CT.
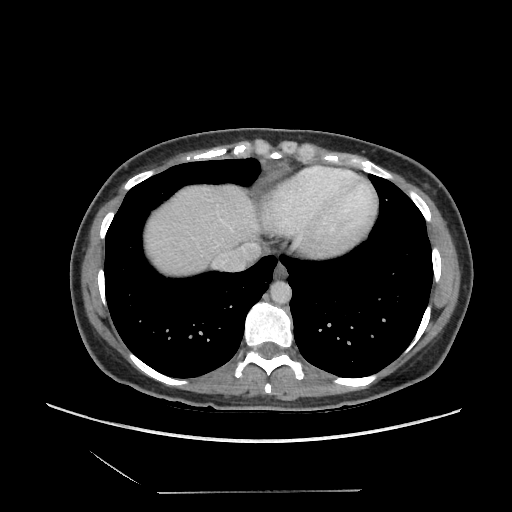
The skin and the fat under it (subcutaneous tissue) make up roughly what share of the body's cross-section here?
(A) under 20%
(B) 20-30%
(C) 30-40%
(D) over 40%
(A) under 20%
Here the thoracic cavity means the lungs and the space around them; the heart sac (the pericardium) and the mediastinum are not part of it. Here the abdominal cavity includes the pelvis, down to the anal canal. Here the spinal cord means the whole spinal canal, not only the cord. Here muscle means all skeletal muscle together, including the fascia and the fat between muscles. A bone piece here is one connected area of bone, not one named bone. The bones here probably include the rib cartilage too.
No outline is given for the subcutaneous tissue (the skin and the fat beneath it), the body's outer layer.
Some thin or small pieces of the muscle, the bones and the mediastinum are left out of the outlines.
Outlines (x, y in pixels):
mediastinum 1: 262,240 270,248 282,254 280,256 280,260 284,264 287,270 288,273 287,281 292,290 292,295 289,301 290,312 271,302 260,300 264,292 268,288 273,276 273,270 277,262 277,259 274,255 271,254 262,256
mediastinum 2: 258,159 271,159 272,160 287,159 288,160 299,161 303,163 303,164 291,168 280,176 276,177 268,182 257,192 256,195 254,197 254,202 253,203 251,193 250,192 251,189 250,186 257,179 261,173 261,164
abdominal cavity: 226,183 231,183 250,188 249,192 253,204 259,231 261,234 261,256 252,265 245,269 237,271 214,270 185,278 166,278 158,273 148,263 144,255 142,247 142,230 146,218 150,212 184,186 192,184 225,184
muscle 1: 387,170 419,188 435,204 448,228 460,267 455,308 444,327 421,350 367,388 320,397 294,400 260,395 242,397 198,393 165,385 185,385 188,383 186,379 222,366 237,353 243,339 246,349 243,358 235,364 233,375 236,378 240,378 244,368 252,363 263,369 267,376 280,366 288,366 294,377 302,380 305,376 303,363 288,351 294,344 308,363 337,376 332,379 335,384 348,387 369,385 382,369 401,354 409,352 429,323 432,313 429,297 432,283 440,280 442,258 438,247 431,246 428,236 426,222 432,220 429,206 413,189 407,194 391,181 395,178, around a hole outlined by 268,382 270,384 270,385 271,386 271,392 269,394 268,393 266,393 265,392 265,390 264,389 264,388 265,387 265,385 266,384 266,383 267,383
muscle 2: 125,181 122,187 126,193 119,207 116,211 107,211 100,222 104,261 103,267 97,270 96,282 100,300 108,308 113,325 128,348 128,358 146,375 134,368 95,330 87,317 81,289 81,268 91,225 102,205
muscle 3: 253,139 256,139 253,141 245,140 237,143 229,151 234,158 219,158 218,159 211,159 217,158 223,155 225,155 229,150 226,147 224,147 223,146 222,147 213,147 205,151 202,151 201,152 190,152 189,153 187,153 183,156 180,160 181,161 188,162 182,162 181,163 170,166 160,172 158,172 157,173 156,171 153,169 147,169 150,168 154,165 156,165 162,162 164,160 176,154 178,154 182,152 187,152 188,151 192,151 193,150 197,150 198,149 204,149 205,148 209,148 210,147 215,147 219,145 229,144 234,142 238,142 242,140 252,140
muscle 4: 292,141 296,141 299,143 304,143 305,142 307,143 312,143 326,149 329,149 334,151 339,151 340,152 345,152 346,153 351,153 333,153 332,152 328,152 323,154 321,156 321,158 323,160 335,164 304,163 299,160 282,158 283,157 283,154 287,154 288,155 297,154 298,157 302,160 309,160 312,159 315,156 316,151 309,143 298,144 295,141
bones 1: 258,301 278,306 290,316 294,343 287,351 293,359 302,363 304,373 302,379 297,379 288,365 280,365 267,375 263,368 252,362 243,368 240,377 234,375 236,364 244,358 247,349 243,338 245,318 250,308; inner edge: 265,342 273,342 274,343 275,343 279,347 279,352 277,354 276,354 275,355 274,355 272,357 271,357 270,358 265,358 263,356 262,356 260,354 260,353 258,351 258,347 261,344 262,344 263,343 264,343
bones 2: 257,139 267,143 271,151 279,151 280,144 289,141 295,142 298,145 309,144 314,149 315,154 309,159 302,159 297,153 283,153 279,159 266,158 254,152 247,157 235,157 230,151 237,144 245,141 253,142
bones 3: 328,153 332,153 333,154 355,154 361,158 367,159 383,168 389,172 393,176 394,179 393,180 389,180 371,173 367,173 360,169 354,168 351,166 348,166 343,164 336,164 331,161 325,160 322,158 322,156
bones 4: 129,350 139,359 140,359 143,362 156,371 164,375 169,376 172,378 176,378 177,379 185,379 187,381 187,383 185,384 182,384 181,385 168,385 148,376 140,369 139,369 129,358 128,356 128,352
bones 5: 223,147 224,148 226,148 228,150 227,152 225,154 223,154 217,157 214,157 206,160 201,160 200,161 185,161 184,160 181,160 183,157 187,154 189,154 190,153 201,153 202,152 205,152 213,148 222,148
bones 6: 378,372 380,372 378,376 372,382 365,386 348,386 347,385 338,384 337,383 335,383 333,381 333,379 335,379 338,377 346,377 347,378 358,378 359,377 364,377 365,376 368,376 369,375 371,375
bones 7: 428,303 430,303 431,305 431,313 430,314 430,317 429,318 428,323 423,333 416,343 410,349 410,350 406,353 402,354 405,349 412,341 417,331 417,329 419,326 419,324 421,321 421,319 423,316 423,314
bones 8: 409,190 413,190 415,192 416,192 424,200 424,201 428,206 429,208 429,210 430,211 430,213 431,214 431,220 429,222 427,222 425,220 420,210 413,202 413,201 409,197 408,195 408,191
bones 9: 433,246 436,246 437,247 437,248 439,250 439,253 440,254 440,257 441,258 441,270 440,271 440,276 439,277 439,280 437,282 434,282 433,281 433,268 432,267 432,257 431,256 431,251 432,250 432,247
bones 10: 146,170 153,170 155,171 156,173 155,174 148,177 146,179 136,184 127,191 124,189 123,187 126,181 129,178 130,178 132,176 142,171 145,171
bones 11: 101,267 103,268 103,272 104,273 104,283 105,284 105,299 106,300 107,306 105,306 103,304 101,300 101,297 100,296 100,293 99,292 99,288 98,287 98,283 97,282 97,273 98,272 99,268
bones 12: 111,210 112,211 114,211 115,213 108,227 108,229 105,235 105,238 104,239 102,239 100,237 100,227 101,226 101,222 105,214 107,212
torso: 240,127 312,129 359,138 413,158 445,186 459,210 468,237 473,286 455,339 431,375 372,401 329,410 222,410 147,395 117,382 95,364 80,337 69,288 72,246 89,204 112,172 138,152 187,134
thoracic cavity 1: 248,157 260,164 260,173 249,186 184,185 152,209 143,223 143,255 166,279 237,272 262,257 276,259 267,288 245,315 236,353 206,373 172,377 133,353 114,325 106,299 107,232 127,192 148,178 182,163
thoracic cavity 2: 368,174 392,182 408,196 422,215 431,247 432,282 428,302 416,331 404,350 377,372 358,377 338,376 308,362 295,344 294,322 290,311 293,290 281,256 307,261 326,261 347,254 365,241 379,212 378,194
pericardium: 304,164 325,164 343,166 356,172 359,172 367,177 377,194 378,212 367,237 365,240 341,256 326,260 300,259 288,256 273,249 262,239 262,234 260,231 254,208 255,197 258,192 268,183 280,177 291,169
spinal cord: 265,342 273,342 274,343 275,343 279,347 279,352 277,354 276,354 275,355 274,355 272,357 271,357 270,358 265,358 263,356 262,356 260,354 260,353 258,351 258,347 261,344 262,344 263,343 264,343